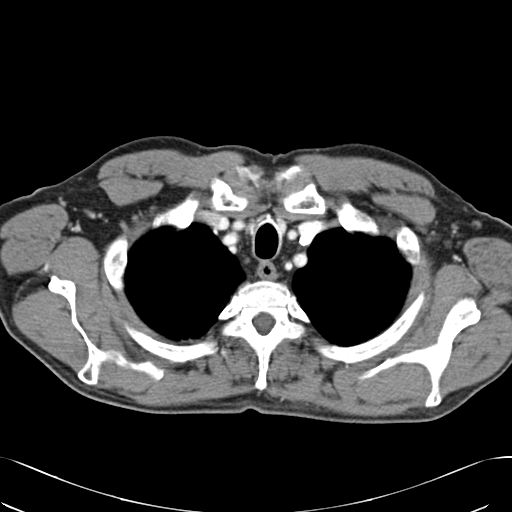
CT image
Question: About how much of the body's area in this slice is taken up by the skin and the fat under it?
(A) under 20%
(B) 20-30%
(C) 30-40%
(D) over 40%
Answer: (A) under 20%
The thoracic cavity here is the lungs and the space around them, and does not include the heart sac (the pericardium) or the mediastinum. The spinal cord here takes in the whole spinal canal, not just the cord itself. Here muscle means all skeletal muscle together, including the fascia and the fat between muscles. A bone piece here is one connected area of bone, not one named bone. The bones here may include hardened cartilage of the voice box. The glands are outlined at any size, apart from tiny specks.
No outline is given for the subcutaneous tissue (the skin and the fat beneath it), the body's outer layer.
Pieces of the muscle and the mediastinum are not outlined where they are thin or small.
Outlines (x, y in pixels):
bones 1: (253, 281) (285, 282) (311, 322) (306, 326) (308, 331) (305, 336) (293, 339) (285, 338) (271, 352) (266, 372) (267, 384) (263, 390) (257, 389) (254, 385) (259, 372) (258, 357) (255, 351) (241, 337) (222, 336) (219, 330) (222, 322) (217, 319) (237, 289) (242, 284), around a hole outlined by (260, 313) (267, 313) (269, 314) (273, 318) (274, 320) (274, 323) (272, 327) (270, 329) (270, 330) (267, 333) (265, 334) (262, 334) (260, 333) (257, 330) (257, 329) (253, 324) (253, 319) (254, 317) (255, 317)
bones 2: (464, 297) (473, 298) (481, 314) (476, 323) (462, 329) (452, 342) (449, 360) (439, 379) (439, 391) (442, 399) (437, 405) (424, 406) (431, 389) (431, 381) (428, 371) (419, 363) (398, 363) (371, 377) (359, 379) (363, 372) (375, 367) (388, 357) (435, 343) (449, 310)
bones 3: (53, 274) (75, 284) (76, 318) (97, 347) (102, 350) (117, 350) (134, 362) (150, 360) (164, 369) (163, 376) (155, 380) (143, 371) (105, 361) (100, 366) (96, 384) (90, 385) (81, 381) (77, 372) (87, 360) (87, 345) (71, 321) (70, 305) (66, 298) (48, 288)
bones 4: (293, 164) (301, 165) (303, 171) (292, 184) (301, 188) (310, 181) (314, 182) (325, 200) (326, 209) (322, 214) (289, 212) (282, 203) (281, 189) (273, 185) (255, 188) (238, 176) (235, 170) (236, 165) (248, 166) (255, 172) (262, 170) (262, 177) (271, 179) (276, 171)
bones 5: (421, 291) (424, 293) (424, 300) (411, 326) (400, 339) (393, 345) (380, 353) (361, 361) (353, 363) (346, 363) (343, 361) (335, 360) (326, 357) (320, 354) (316, 350) (316, 346) (318, 344) (335, 344) (339, 346) (352, 346) (362, 343) (373, 338) (385, 330) (409, 306)
bones 6: (124, 321) (138, 330) (144, 332) (154, 339) (162, 342) (173, 343) (177, 345) (190, 345) (205, 340) (216, 340) (218, 347) (220, 349) (224, 348) (227, 352) (224, 356) (218, 350) (212, 354) (198, 357) (185, 362) (174, 362) (152, 354) (140, 346) (125, 330) (123, 325)
bones 7: (122, 222) (125, 222) (128, 226) (127, 241) (129, 245) (129, 248) (127, 251) (127, 263) (123, 276) (124, 292) (127, 299) (132, 306) (133, 310) (128, 306) (125, 300) (112, 287) (106, 276) (103, 267) (103, 259) (107, 245) (116, 236) (122, 232) (121, 227)
bones 8: (215, 176) (219, 176) (228, 182) (232, 186) (234, 190) (240, 189) (245, 192) (247, 195) (249, 202) (247, 206) (243, 210) (241, 211) (229, 211) (228, 210) (226, 211) (215, 211) (211, 208) (210, 206) (210, 197) (212, 192) (210, 188) (210, 184) (211, 183) (212, 178)
bones 9: (191, 193) (192, 193) (192, 196) (199, 201) (199, 204) (194, 214) (194, 218) (196, 220) (194, 220) (187, 227) (181, 230) (177, 230) (170, 225) (162, 225) (157, 228) (154, 228) (153, 229) (151, 229) (149, 227) (150, 223) (158, 213) (160, 213) (169, 208) (173, 207)
bones 10: (345, 200) (348, 200) (354, 206) (369, 214) (373, 218) (376, 224) (378, 226) (378, 228) (380, 231) (380, 234) (376, 236) (372, 236) (362, 232) (353, 232) (351, 233) (345, 230) (341, 226) (341, 224) (338, 219) (338, 217) (335, 211) (335, 210) (338, 208)
bones 11: (403, 225) (405, 225) (409, 227) (416, 234) (417, 239) (418, 240) (418, 245) (419, 246) (419, 249) (418, 250) (419, 262) (416, 266) (416, 270) (414, 272) (413, 272) (412, 270) (412, 267) (405, 260) (403, 256) (398, 250) (398, 248) (395, 241) (397, 231) (399, 228)
mediastinum: (268, 209) (276, 214) (275, 222) (282, 232) (287, 229) (284, 218) (337, 217) (340, 224) (340, 226) (319, 231) (314, 235) (306, 248) (305, 264) (293, 273) (288, 285) (285, 281) (250, 280) (241, 260) (224, 245) (207, 224) (199, 221) (208, 213) (226, 212) (248, 216) with a hole at (252, 218) (253, 218) (255, 220) (255, 222) (254, 223) (254, 225) (252, 227) (252, 228) (251, 229) (251, 230) (249, 232) (247, 232) (245, 230) (245, 229) (246, 228) (246, 227) (247, 226) (247, 225) (249, 223) (249, 221)
thoracic cavity 1: (194, 221) (205, 224) (211, 229) (223, 245) (240, 260) (249, 280) (252, 281) (246, 281) (236, 289) (218, 313) (217, 321) (206, 333) (197, 338) (175, 341) (152, 329) (141, 319) (126, 295) (124, 276) (128, 263) (128, 251) (140, 236) (162, 226) (170, 226) (181, 231)
thoracic cavity 2: (338, 227) (341, 227) (351, 234) (362, 233) (372, 237) (389, 237) (395, 242) (397, 250) (411, 267) (409, 285) (397, 317) (378, 334) (352, 345) (339, 345) (331, 343) (326, 339) (312, 325) (309, 316) (288, 286) (294, 273) (306, 264) (307, 248) (315, 235) (319, 232)
thyroid glands 1: (277, 215) (279, 215) (280, 216) (281, 216) (283, 218) (283, 219) (286, 222) (286, 226) (285, 227) (286, 228) (286, 229) (284, 231) (282, 231) (278, 227) (278, 224) (276, 222) (276, 217) (277, 216)
thyroid glands 2: (252, 218) (253, 218) (255, 220) (255, 222) (254, 223) (254, 225) (252, 227) (252, 228) (251, 229) (251, 230) (249, 232) (247, 232) (245, 230) (245, 229) (246, 228) (246, 227) (247, 226) (247, 225) (249, 223) (249, 221)
left arm: (458, 193) (479, 210) (487, 212) (491, 215) (498, 217) (511, 224) (511, 303) (505, 303) (502, 301) (499, 301) (496, 299) (491, 298) (488, 295) (487, 292) (484, 290) (482, 287) (477, 284) (475, 279) (471, 274) (468, 265) (463, 256) (461, 249) (461, 245) (458, 237)
right arm: (58, 182) (61, 192) (67, 206) (67, 226) (65, 229) (65, 232) (63, 234) (63, 237) (59, 244) (59, 247) (53, 256) (48, 262) (46, 263) (46, 265) (38, 274) (16, 290) (10, 293) (0, 296) (0, 204) (18, 196) (29, 194) (39, 187) (46, 185) (50, 185)
torso: (152, 135) (270, 153) (363, 142) (417, 162) (457, 192) (457, 237) (476, 284) (491, 299) (511, 304) (511, 365) (450, 413) (409, 423) (341, 423) (253, 409) (146, 413) (76, 392) (9, 335) (0, 319) (0, 297) (38, 275) (60, 247) (68, 206) (59, 182) (108, 150)
muscle: (153, 148) (173, 148) (191, 155) (236, 151) (245, 156) (248, 164) (290, 165) (276, 170) (271, 178) (263, 177) (262, 169) (255, 171) (248, 165) (236, 164) (234, 170) (255, 189) (273, 186) (281, 190) (281, 203) (292, 214) (322, 215) (327, 209) (326, 200) (314, 181) (301, 187) (293, 184) (304, 171) (301, 164) (293, 163) (298, 155) (366, 156) (423, 175) (437, 196) (433, 201) (437, 222) (433, 228) (437, 239) (432, 250) (438, 266) (451, 262) (462, 251) (464, 242) (473, 237) (498, 237) (511, 243) (511, 353) (488, 377) (443, 398) (440, 379) (450, 360) (453, 342) (462, 330) (476, 324) (482, 314) (476, 300) (464, 296) (448, 310) (435, 342) (388, 356) (358, 376) (359, 380) (368, 379) (402, 363) (423, 366) (430, 381) (424, 408) (411, 408) (401, 414) (343, 414) (254, 391) (198, 403) (154, 406) (137, 403) (114, 391) (79, 384) (67, 373) (74, 373) (66, 364) (29, 339) (12, 321) (11, 305) (21, 280) (9, 276) (0, 262) (0, 227) (15, 214) (33, 206) (57, 203) (68, 214) (69, 234) (85, 237) (100, 248) (122, 212) (97, 185) (99, 168) (113, 157); inner edges: (215, 176) (249, 201) (227, 213) (336, 218) (348, 200) (373, 218) (380, 236) (394, 241) (401, 226) (409, 227) (419, 262) (398, 315) (424, 293) (411, 326) (380, 353) (346, 363) (316, 350) (331, 343) (308, 324) (305, 336) (285, 338) (271, 352) (263, 390) (254, 385) (255, 351) (241, 337) (222, 336) (221, 321) (178, 341) (152, 329) (110, 284) (107, 245) (125, 222) (130, 247) (158, 213) (191, 193) (199, 201) (197, 221) (217, 213) (210, 206), then (53, 274) (75, 284) (76, 318) (97, 347) (102, 350) (117, 350) (134, 362) (150, 360) (164, 369) (163, 376) (155, 380) (143, 371) (105, 361) (100, 366) (96, 384) (90, 385) (81, 381) (77, 372) (87, 360) (87, 345) (71, 321) (70, 305) (66, 298) (48, 288), then (124, 321) (138, 330) (144, 332) (154, 339) (162, 342) (173, 343) (177, 345) (190, 345) (205, 340) (216, 340) (218, 347) (220, 349) (224, 348) (227, 352) (224, 356) (218, 350) (212, 354) (198, 357) (185, 362) (174, 362) (152, 354) (140, 346) (125, 330) (123, 325)
spinal cord: (260, 313) (267, 313) (269, 314) (273, 318) (274, 320) (274, 323) (272, 327) (270, 329) (270, 330) (267, 333) (265, 334) (262, 334) (260, 333) (257, 330) (257, 329) (253, 324) (253, 319) (254, 317) (255, 317)